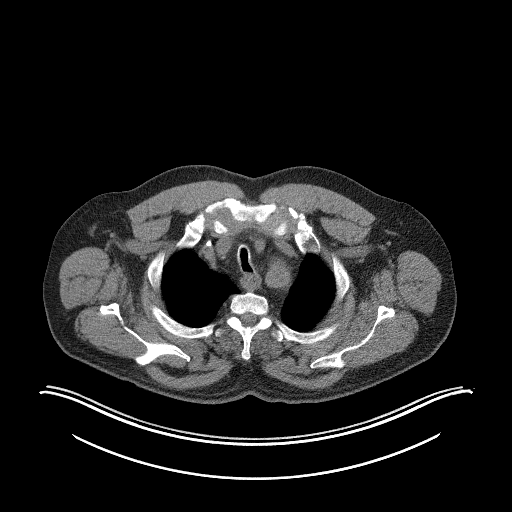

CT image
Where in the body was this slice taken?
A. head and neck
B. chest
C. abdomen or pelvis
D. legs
B. chest
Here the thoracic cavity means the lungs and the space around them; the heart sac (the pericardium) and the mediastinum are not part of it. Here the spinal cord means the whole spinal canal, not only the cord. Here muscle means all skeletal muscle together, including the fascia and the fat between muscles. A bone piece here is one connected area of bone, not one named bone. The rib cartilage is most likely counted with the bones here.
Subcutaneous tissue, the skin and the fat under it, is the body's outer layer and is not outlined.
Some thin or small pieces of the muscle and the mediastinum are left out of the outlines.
The muscle appears in 3 outlined pieces: piece 1: (209, 179) (234, 183) (239, 186) (250, 199) (269, 187) (285, 183) (319, 185) (358, 203) (376, 220) (361, 261) (346, 268) (332, 252) (330, 268) (319, 255) (313, 227) (292, 206) (283, 215) (274, 202) (247, 203) (228, 196) (208, 204) (185, 224) (168, 259) (160, 249) (146, 268) (167, 311) (151, 304) (151, 314) (169, 333) (219, 337) (223, 323) (240, 335) (245, 361) (261, 330) (270, 329) (277, 342) (314, 344) (339, 326) (335, 321) (315, 327) (351, 280) (355, 298) (363, 300) (372, 275) (406, 250) (424, 254) (441, 274) (432, 314) (405, 350) (351, 369) (320, 389) (301, 388) (248, 365) (209, 385) (175, 389) (129, 358) (84, 342) (60, 300) (63, 260) (80, 248) (98, 247) (137, 283) (144, 263) (127, 250) (133, 234) (125, 211) (164, 189) with holes at (112, 302) (116, 302) (119, 305) (124, 323) (144, 340) (148, 342) (167, 342) (174, 344) (187, 354) (190, 360) (187, 361) (174, 354) (164, 354) (144, 365) (135, 362) (134, 358) (142, 354) (146, 350) (146, 347) (124, 329) (114, 314) (101, 314) (99, 310) (100, 306) and at (379, 305) (392, 307) (395, 312) (394, 315) (392, 317) (382, 319) (376, 325) (372, 336) (364, 344) (342, 354) (341, 357) (345, 362) (344, 366) (340, 368) (310, 367) (310, 363) (313, 360) (354, 345) (364, 338) (370, 331) (377, 317) (377, 309); piece 2: (222, 210) (226, 210) (231, 219) (238, 223) (243, 222) (252, 223) (255, 222) (258, 224) (264, 224) (265, 223) (269, 224) (271, 226) (269, 227) (271, 234) (268, 234) (255, 227) (248, 227) (237, 232) (230, 232) (229, 231) (230, 229) (226, 223) (226, 220) (218, 212); piece 3: (225, 307) (225, 309) (223, 311) (223, 314) (221, 316) (221, 317) (219, 319) (218, 319) (217, 320) (214, 320) (218, 316) (218, 314) (220, 312) (220, 311) (221, 311) (223, 309) (224, 309) (225, 308). The torso is outlined by (189, 164) (215, 165) (252, 177) (296, 165) (319, 166) (413, 206) (438, 231) (451, 256) (457, 303) (444, 342) (428, 360) (399, 375) (318, 403) (269, 402) (253, 395) (218, 404) (187, 402) (69, 357) (50, 332) (42, 298) (56, 232) (90, 198) (131, 189) (165, 170). The mediastinum is outlined by (248, 228) (255, 228) (276, 237) (285, 234) (288, 237) (293, 238) (298, 250) (304, 255) (297, 274) (280, 307) (276, 307) (270, 303) (262, 294) (251, 290) (242, 292) (226, 274) (209, 267) (195, 249) (202, 236) (206, 233) (213, 235) (225, 234) (228, 232) (237, 233). The spinal cord is outlined by (246, 312) (249, 312) (250, 313) (252, 313) (253, 314) (254, 314) (255, 315) (256, 315) (258, 317) (258, 319) (257, 320) (257, 321) (253, 325) (244, 325) (242, 323) (242, 322) (240, 319) (240, 315) (241, 315) (242, 314) (243, 314). The thoracic cavity appears in 2 outlined pieces: piece 1: (193, 248) (209, 268) (226, 275) (241, 292) (233, 293) (230, 295) (227, 306) (226, 307) (225, 306) (224, 308) (220, 310) (217, 316) (212, 321) (205, 325) (197, 327) (186, 325) (173, 318) (168, 313) (161, 293) (162, 274) (165, 263) (174, 252) (182, 249) (192, 249); piece 2: (307, 253) (312, 253) (318, 255) (322, 261) (331, 270) (334, 279) (334, 296) (329, 309) (315, 325) (314, 329) (308, 331) (300, 331) (287, 325) (274, 313) (270, 304) (275, 306) (276, 308) (280, 308) (282, 306) (284, 300) (298, 274) (300, 265) (304, 256). The bones appear in 6 outlined pieces: piece 1: (248, 291) (264, 296) (273, 313) (294, 330) (339, 324) (328, 337) (310, 344) (277, 341) (270, 328) (258, 330) (248, 360) (241, 357) (241, 335) (225, 323) (220, 324) (224, 331) (219, 336) (186, 338) (166, 330) (150, 308) (155, 305) (197, 328) (219, 320) (230, 296) with a hole at (246, 312) (249, 312) (250, 313) (252, 313) (253, 314) (254, 314) (255, 315) (256, 315) (258, 317) (258, 319) (257, 320) (257, 321) (253, 325) (244, 325) (242, 323) (242, 322) (240, 319) (240, 315) (241, 315) (242, 314) (243, 314); piece 2: (228, 197) (247, 204) (274, 203) (282, 207) (278, 211) (283, 216) (289, 207) (303, 213) (319, 241) (319, 253) (299, 250) (293, 226) (276, 236) (269, 223) (238, 222) (226, 209) (217, 212) (227, 232) (217, 233) (207, 224) (194, 247) (176, 250) (186, 224) (208, 205); piece 3: (112, 302) (116, 302) (119, 305) (124, 323) (144, 340) (148, 342) (167, 342) (174, 344) (187, 354) (190, 360) (187, 361) (174, 354) (164, 354) (144, 365) (135, 362) (134, 358) (142, 354) (146, 350) (146, 347) (124, 329) (114, 314) (101, 314) (99, 310) (100, 306); piece 4: (379, 305) (392, 307) (395, 312) (394, 315) (392, 317) (382, 319) (376, 325) (372, 336) (364, 344) (342, 354) (341, 357) (345, 362) (344, 366) (340, 368) (310, 367) (310, 363) (313, 360) (354, 345) (364, 338) (370, 331) (377, 317) (377, 309); piece 5: (332, 253) (338, 257) (341, 261) (346, 269) (346, 271) (350, 280) (349, 287) (346, 291) (345, 294) (339, 301) (334, 304) (333, 304) (333, 301) (335, 296) (335, 279) (334, 278) (333, 272) (331, 269) (331, 267) (332, 266) (332, 257) (331, 256) (331, 254); piece 6: (160, 250) (164, 250) (165, 251) (165, 255) (164, 256) (164, 260) (165, 262) (164, 263) (164, 265) (162, 269) (162, 273) (161, 274) (161, 284) (160, 285) (160, 292) (158, 292) (153, 288) (148, 279) (148, 276) (147, 275) (147, 268) (152, 258) (156, 254) (156, 253).